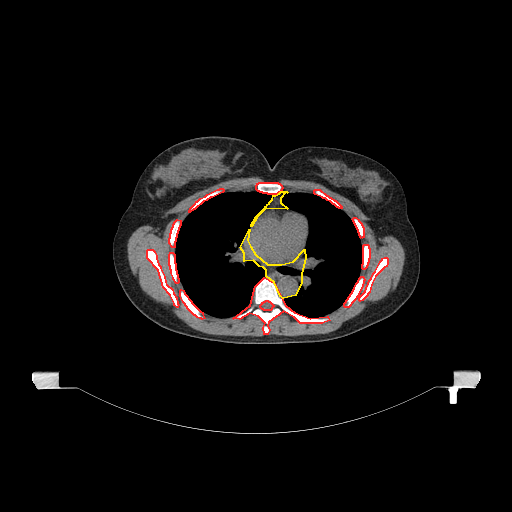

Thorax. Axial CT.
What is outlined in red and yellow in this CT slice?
red: bones; yellow: mediastinum.
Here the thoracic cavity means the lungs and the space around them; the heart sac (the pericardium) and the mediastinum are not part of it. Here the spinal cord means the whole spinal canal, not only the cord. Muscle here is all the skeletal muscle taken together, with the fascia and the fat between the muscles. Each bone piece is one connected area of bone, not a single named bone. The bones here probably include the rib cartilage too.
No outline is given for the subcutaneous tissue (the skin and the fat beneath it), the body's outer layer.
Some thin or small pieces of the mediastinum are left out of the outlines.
Outlined structures:
bones 1: (264, 277) (273, 282) (285, 305) (294, 312) (310, 318) (327, 316) (329, 320) (322, 323) (300, 323) (294, 317) (283, 311) (268, 322) (267, 325) (269, 330) (267, 334) (264, 334) (263, 327) (265, 323) (258, 316) (249, 313) (239, 319) (233, 318) (250, 305) (255, 286) with a hole at (266, 300) (267, 300) (268, 301) (269, 301) (273, 305) (273, 306) (271, 308) (271, 309) (270, 310) (264, 310) (263, 309) (262, 309) (260, 307) (260, 305) (262, 303) (262, 302) (263, 302) (264, 301) (265, 301)
bones 2: (148, 249) (152, 249) (154, 251) (156, 255) (156, 258) (158, 264) (160, 266) (160, 268) (164, 276) (165, 282) (166, 284) (172, 289) (173, 293) (176, 297) (177, 303) (178, 304) (177, 307) (174, 305) (174, 303) (170, 295) (163, 287) (158, 270) (147, 258) (147, 250)
bones 3: (259, 182) (277, 182) (278, 183) (279, 183) (281, 185) (282, 188) (281, 189) (281, 190) (279, 192) (278, 192) (275, 194) (268, 194) (267, 193) (263, 193) (262, 192) (260, 192) (259, 191) (258, 191) (256, 189) (256, 185) (257, 184) (257, 183) (258, 183)
bones 4: (384, 257) (386, 257) (387, 258) (387, 264) (386, 266) (384, 267) (375, 276) (371, 284) (369, 292) (367, 294) (367, 295) (362, 300) (360, 301) (359, 300) (359, 297) (365, 291) (369, 280) (371, 278) (373, 273) (375, 271) (380, 261) (382, 259) (382, 258)
bones 5: (181, 289) (183, 290) (184, 293) (191, 301) (191, 302) (200, 311) (202, 312) (202, 314) (204, 318) (202, 319) (201, 318) (199, 318) (197, 317) (195, 315) (194, 315) (187, 308) (187, 307) (183, 302) (180, 296) (180, 290)
bones 6: (361, 276) (362, 276) (363, 277) (364, 280) (363, 281) (362, 286) (358, 293) (358, 295) (348, 307) (345, 307) (344, 306) (344, 303) (346, 301) (346, 300) (348, 298) (348, 297) (352, 292) (352, 291) (353, 290) (353, 289) (354, 288) (356, 283) (358, 281) (359, 278)
bones 7: (220, 188) (222, 188) (223, 189) (223, 191) (222, 192) (212, 197) (210, 197) (206, 200) (203, 201) (194, 209) (193, 209) (189, 212) (189, 210) (190, 208) (195, 203) (196, 201) (197, 201) (200, 198) (205, 196) (207, 194) (217, 189) (219, 189)
bones 8: (177, 219) (180, 220) (180, 225) (178, 228) (178, 230) (177, 231) (177, 233) (176, 234) (176, 237) (175, 238) (175, 241) (174, 242) (174, 247) (172, 247) (169, 243) (169, 238) (170, 237) (170, 233) (171, 232) (171, 229) (173, 226) (173, 224) (174, 223) (174, 222)
bones 9: (170, 252) (172, 252) (174, 254) (174, 262) (175, 263) (175, 269) (176, 270) (176, 273) (177, 274) (177, 277) (178, 278) (178, 282) (177, 283) (176, 283) (173, 279) (173, 277) (171, 273) (171, 270) (170, 269) (170, 266) (169, 265) (169, 254)
bones 10: (315, 189) (319, 189) (326, 195) (327, 195) (329, 197) (330, 197) (334, 200) (335, 200) (341, 206) (341, 208) (339, 208) (338, 207) (337, 207) (334, 204) (333, 204) (330, 201) (327, 200) (325, 198) (323, 198) (322, 197) (315, 194) (314, 193) (314, 190)
bones 11: (364, 244) (367, 244) (368, 245) (368, 247) (369, 248) (369, 258) (368, 259) (368, 262) (367, 263) (367, 265) (366, 266) (366, 267) (364, 269) (363, 269) (362, 268) (362, 264) (363, 263) (363, 245)
bones 12: (354, 217) (355, 217) (358, 219) (358, 220) (361, 223) (361, 224) (363, 227) (363, 237) (362, 237) (361, 238) (359, 235) (359, 233) (358, 232) (358, 230) (357, 229) (357, 228) (356, 227) (356, 226) (355, 225) (355, 224) (354, 223) (354, 222) (352, 219)
mediastinum 1: (249, 229) (247, 240) (250, 246) (255, 254) (267, 264) (281, 264) (293, 261) (304, 249) (305, 258) (301, 273) (301, 282) (295, 295) (283, 298) (280, 296) (274, 282) (266, 276) (266, 270) (263, 267) (259, 266) (253, 260) (244, 261) (244, 253) (240, 247)
mediastinum 2: (281, 191) (286, 191) (287, 192) (285, 192) (280, 198) (280, 202) (287, 208) (265, 209) (263, 210) (257, 216) (251, 226) (251, 224) (256, 216) (265, 207) (265, 206) (266, 206) (267, 204) (269, 203) (269, 202) (272, 199) (273, 195) (275, 195) (279, 193)
thoracic cavity 1: (254, 190) (263, 194) (272, 195) (272, 197) (251, 222) (239, 247) (243, 253) (243, 261) (255, 262) (265, 270) (265, 276) (255, 284) (251, 301) (243, 311) (233, 316) (216, 317) (200, 310) (183, 289) (178, 277) (174, 253) (177, 234) (186, 216) (208, 199) (223, 192)
thoracic cavity 2: (288, 192) (313, 193) (341, 209) (352, 220) (360, 238) (362, 263) (359, 277) (345, 301) (339, 307) (321, 317) (300, 314) (288, 307) (284, 302) (284, 299) (296, 295) (302, 282) (306, 258) (305, 247) (309, 233) (307, 218) (302, 213) (288, 208) (281, 202) (283, 195)
muscle 1: (252, 176) (265, 181) (257, 182) (255, 189) (224, 191) (222, 187) (217, 188) (196, 200) (183, 220) (177, 218) (170, 229) (168, 243) (174, 252) (168, 254) (168, 265) (173, 281) (181, 284) (179, 296) (186, 308) (202, 320) (205, 318) (203, 313) (238, 320) (252, 314) (264, 323) (264, 335) (261, 336) (205, 333) (190, 327) (141, 289) (128, 262) (127, 242) (142, 225) (150, 225) (161, 233) (174, 216) (166, 214) (166, 211) (195, 192) (226, 180) with a hole at (148, 249) (152, 249) (154, 251) (156, 255) (156, 258) (158, 264) (160, 266) (160, 268) (164, 276) (165, 282) (166, 284) (172, 289) (173, 293) (176, 297) (177, 303) (178, 304) (177, 307) (174, 305) (174, 303) (170, 295) (163, 287) (158, 270) (147, 258) (147, 250)
muscle 2: (281, 179) (313, 181) (346, 197) (370, 218) (367, 223) (378, 239) (391, 235) (401, 243) (405, 252) (402, 273) (396, 287) (331, 332) (275, 335) (268, 334) (268, 324) (283, 312) (300, 324) (322, 324) (330, 320) (326, 315) (343, 304) (345, 308) (351, 305) (363, 286) (365, 279) (360, 273) (367, 267) (370, 258) (369, 245) (362, 245) (361, 241) (364, 227) (357, 217) (351, 218) (335, 199) (319, 188) (313, 192) (282, 190) (283, 187) (278, 182); inner edge: (384, 257) (386, 257) (387, 258) (387, 264) (386, 266) (384, 267) (375, 276) (371, 284) (369, 292) (367, 294) (367, 295) (362, 300) (360, 301) (359, 300) (359, 297) (365, 291) (369, 280) (371, 278) (373, 273) (375, 271) (380, 261) (382, 259) (382, 258)
spinal cord: (266, 300) (267, 300) (268, 301) (269, 301) (273, 305) (273, 306) (271, 308) (271, 309) (270, 310) (264, 310) (263, 309) (262, 309) (260, 307) (260, 305) (262, 303) (262, 302) (263, 302) (264, 301) (265, 301)
torso: (207, 135) (246, 140) (271, 166) (290, 150) (316, 145) (355, 151) (387, 167) (404, 190) (419, 246) (420, 273) (411, 297) (389, 317) (359, 331) (308, 343) (204, 340) (170, 331) (145, 317) (124, 294) (114, 270) (112, 243) (120, 217) (140, 174) (158, 153) (177, 142)
pericardium: (275, 209) (287, 209) (301, 214) (305, 218) (307, 223) (306, 240) (305, 241) (304, 248) (293, 260) (291, 260) (287, 262) (282, 262) (281, 263) (267, 263) (256, 254) (248, 240) (248, 236) (249, 235) (250, 229) (258, 216) (265, 210) (274, 210)